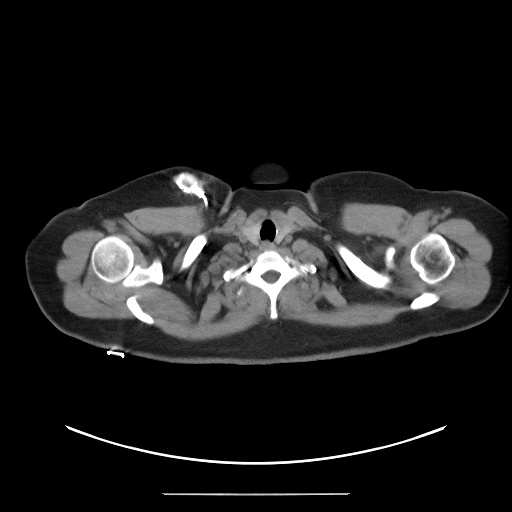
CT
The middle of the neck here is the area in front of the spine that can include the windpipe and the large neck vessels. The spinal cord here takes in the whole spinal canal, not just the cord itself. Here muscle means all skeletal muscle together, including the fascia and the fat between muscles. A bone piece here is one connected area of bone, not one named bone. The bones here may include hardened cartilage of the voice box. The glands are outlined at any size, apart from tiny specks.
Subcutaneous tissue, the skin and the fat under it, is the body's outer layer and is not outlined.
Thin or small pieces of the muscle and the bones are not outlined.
muscle: 285 201; 324 224; 344 202; 412 213; 450 207; 493 246; 491 285; 473 307; 434 304; 440 296; 424 290; 411 311; 383 324; 277 319; 284 286; 317 267; 275 249; 289 244; 294 231; 269 213; 237 233; 242 244; 262 251; 221 276; 265 293; 270 321; 189 341; 152 325; 136 294; 125 305; 137 319; 81 317; 62 303; 55 273; 62 242; 97 228; 102 218; 184 204; 219 225; 241 205; inner edges: 108 235; 117 235; 127 243; 134 254; 134 263; 143 268; 147 267; 155 257; 159 257; 162 263; 163 270; 162 283; 158 285; 153 282; 149 282; 137 287; 126 287; 119 283; 107 283; 97 277; 90 264; 91 252; 94 245; 100 239, then 429 232; 435 232; 443 236; 448 242; 449 247; 455 258; 455 263; 450 273; 444 279; 439 281; 435 284; 428 284; 423 281; 419 277; 418 273; 411 265; 410 263; 410 259; 409 258; 410 250; 412 246; 420 238; 421 238; 422 236, then 337 242; 340 242; 345 245; 366 264; 372 268; 380 272; 387 273; 391 277; 391 282; 389 285; 389 288; 386 290; 381 288; 375 288; 374 287; 372 287; 363 282; 355 275; 354 275; 354 274; 352 273; 338 253; 336 249; 336 243, then 200 233; 205 233; 206 234; 207 236; 207 242; 205 244; 205 245; 203 247; 199 254; 192 262; 192 263; 186 269; 184 269; 180 271; 179 270; 179 268; 180 267; 180 265; 181 264; 183 256; 188 246; 190 244; 193 238; 196 235, then 390 245; 392 245; 395 248; 395 253; 393 256; 393 261; 394 262; 394 264; 395 266; 394 268; 392 269; 390 269; 389 270; 387 270; 385 267; 385 264; 384 263; 384 253; 385 252; 385 250; 386 248
middle of the neck: 267 214; 278 218; 275 242; 279 244; 292 231; 293 237; 291 241; 286 245; 278 246; 274 249; 268 248; 263 250; 257 247; 250 247; 249 245; 242 243; 238 239; 238 233; 240 231; 246 240; 252 245; 258 244; 259 223; 256 219
bones 1: 108 235; 117 235; 127 243; 134 254; 134 263; 143 268; 147 267; 155 257; 159 257; 162 263; 163 270; 162 283; 158 285; 153 282; 149 282; 137 287; 126 287; 119 283; 107 283; 97 277; 90 264; 91 252; 94 245; 100 239
bones 2: 268 249; 275 250; 283 256; 289 255; 302 263; 312 263; 316 267; 314 273; 294 278; 283 286; 276 300; 278 316; 275 320; 270 318; 270 300; 265 292; 256 286; 244 282; 238 283; 233 279; 227 282; 222 276; 226 269; 236 268 with a hole at 271 270; 272 270; 273 271; 275 271; 276 272; 277 272; 279 274; 279 276; 277 278; 277 279; 275 281; 274 281; 273 282; 268 282; 267 281; 266 281; 263 278; 263 277; 262 276; 266 272; 267 272; 268 271; 270 271
bones 3: 429 232; 435 232; 443 236; 448 242; 449 247; 455 258; 455 263; 450 273; 444 279; 439 281; 435 284; 428 284; 423 281; 419 277; 418 273; 411 265; 410 263; 410 259; 409 258; 410 250; 412 246; 420 238; 421 238; 422 236
bones 4: 337 242; 340 242; 345 245; 366 264; 372 268; 380 272; 387 273; 391 277; 391 282; 389 285; 389 288; 386 290; 381 288; 375 288; 374 287; 372 287; 363 282; 355 275; 354 275; 354 274; 352 273; 338 253; 336 249; 336 243
bones 5: 200 233; 205 233; 206 234; 207 236; 207 242; 205 244; 205 245; 203 247; 199 254; 192 262; 192 263; 186 269; 184 269; 180 271; 179 270; 179 268; 180 267; 180 265; 181 264; 183 256; 188 246; 190 244; 193 238; 196 235
bones 6: 424 291; 431 291; 432 292; 434 292; 436 293; 439 296; 439 299; 435 303; 434 303; 430 306; 428 306; 427 307; 425 307; 421 309; 418 309; 417 310; 412 310; 410 309; 409 308; 409 305; 412 301; 412 300; 415 297; 416 297
bones 7: 132 295; 136 295; 136 299; 138 303; 142 308; 142 309; 145 312; 148 313; 153 318; 154 320; 153 324; 151 325; 150 324; 147 324; 139 320; 137 318; 136 318; 136 317; 134 316; 134 315; 128 309; 126 305; 126 300; 128 297
bones 8: 390 245; 392 245; 395 248; 395 253; 393 256; 393 261; 394 262; 394 264; 395 266; 394 268; 392 269; 390 269; 389 270; 387 270; 385 267; 385 264; 384 263; 384 253; 385 252; 385 250; 386 248
right arm: 91 197; 107 202; 125 210; 128 222; 129 238; 135 256; 135 261; 129 270; 109 310; 92 330; 91 333; 84 340; 81 341; 57 329; 40 310; 26 279; 24 265; 24 253; 26 246; 31 237; 52 216; 67 207; 78 205
spinal cord: 271 270; 272 270; 273 271; 275 271; 276 272; 277 272; 279 274; 279 276; 277 278; 277 279; 275 281; 274 281; 273 282; 268 282; 267 281; 266 281; 263 278; 263 277; 262 276; 266 272; 267 272; 268 271; 270 271
torso: 173 165; 202 169; 227 181; 233 189; 246 185; 272 185; 303 191; 321 175; 350 169; 386 172; 415 186; 397 227; 399 260; 419 307; 439 336; 369 354; 266 365; 170 363; 83 342; 112 307; 136 261; 126 210; 92 197; 138 176
left arm: 416 187; 433 190; 459 189; 468 191; 486 199; 504 211; 507 215; 509 231; 508 293; 501 306; 489 319; 460 332; 442 336; 437 333; 428 320; 424 311; 420 307; 403 271; 399 252; 398 227; 400 225; 401 216; 411 196; 411 193
head and neck: 266 159; 278 160; 281 162; 283 162; 286 165; 287 165; 291 169; 293 173; 293 177; 292 179; 290 181; 281 185; 273 185; 272 184; 248 184; 248 182; 246 180; 246 178; 245 177; 246 172; 248 169; 254 164; 262 160; 265 160
thyroid glands 1: 249 220; 255 220; 255 221; 256 222; 257 222; 258 223; 258 242; 257 243; 257 244; 252 244; 248 240; 247 240; 247 239; 243 235; 243 234; 242 233; 242 232; 241 231; 241 227; 244 224; 245 224
thyroid glands 2: 281 218; 282 219; 287 220; 289 222; 290 222; 291 223; 291 224; 292 225; 292 230; 289 233; 288 233; 285 236; 285 237; 279 243; 277 243; 276 242; 276 236; 277 235; 277 233; 278 232; 278 221; 279 220; 279 219; 280 219